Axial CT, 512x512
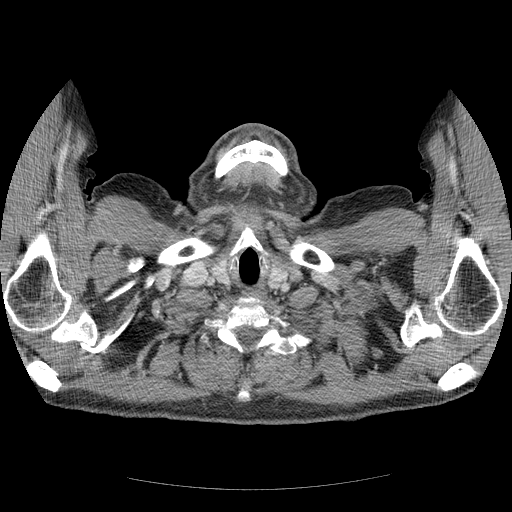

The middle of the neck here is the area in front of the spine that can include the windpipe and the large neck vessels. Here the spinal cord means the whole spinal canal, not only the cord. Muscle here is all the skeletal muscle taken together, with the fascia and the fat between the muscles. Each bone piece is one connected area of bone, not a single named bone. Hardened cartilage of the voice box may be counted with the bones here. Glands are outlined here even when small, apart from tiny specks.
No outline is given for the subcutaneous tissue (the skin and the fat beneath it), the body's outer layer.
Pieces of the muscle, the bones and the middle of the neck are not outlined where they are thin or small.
thyroid glands 1: [[273,264],[275,266],[279,268],[281,268],[287,271],[287,276],[286,278],[277,286],[277,287],[273,289],[269,289],[268,287],[268,285],[267,284],[267,282],[268,281],[268,272],[270,269],[269,268],[270,265],[272,265]]
thyroid glands 2: [[227,261],[229,262],[229,271],[228,273],[229,274],[229,277],[231,281],[231,284],[229,286],[229,287],[227,287],[223,283],[220,282],[218,280],[218,278],[214,273],[214,270],[213,269],[214,267],[214,265],[217,264],[219,262],[221,263],[226,263]]
middle of the neck: [[248,248],[259,253],[258,258],[269,269],[266,282],[269,290],[277,288],[288,273],[297,275],[289,281],[287,293],[265,301],[252,295],[238,297],[218,284],[200,279],[202,267],[213,266],[217,280],[229,288],[232,284],[229,272],[239,259],[237,254]]
head and neck: [[248,122],[256,122],[270,126],[284,134],[293,144],[297,154],[299,167],[302,173],[314,186],[317,193],[315,209],[304,220],[299,221],[289,217],[274,215],[270,213],[241,209],[193,210],[185,200],[188,191],[188,177],[204,161],[214,143],[230,129]]
spinal cord: [[243,325],[246,325],[247,326],[251,326],[255,329],[261,329],[263,330],[263,332],[260,338],[257,341],[257,342],[255,344],[249,347],[244,347],[240,343],[239,340],[237,338],[237,334],[235,331],[235,329],[237,327],[239,327]]
bones 1: [[39,230],[47,233],[57,258],[58,279],[72,296],[66,320],[77,320],[85,310],[93,318],[100,339],[132,316],[104,352],[91,354],[82,350],[75,340],[65,343],[51,340],[49,330],[34,333],[11,324],[4,303],[6,283],[18,267],[32,235]] with a hole at [[39,259],[41,259],[42,260],[43,260],[46,263],[46,265],[48,268],[48,271],[46,273],[41,273],[37,277],[36,277],[34,279],[32,279],[30,281],[28,281],[25,283],[19,283],[19,279],[29,269],[29,268],[37,260],[38,260]]
bones 2: [[465,236],[475,237],[474,239],[479,244],[484,258],[488,261],[486,265],[500,288],[501,313],[498,319],[485,332],[477,335],[462,337],[459,334],[449,330],[440,322],[433,303],[435,294],[440,292],[447,282],[449,271],[458,247],[452,241],[455,237]] with a hole at [[463,264],[465,265],[470,265],[472,264],[478,270],[480,274],[482,275],[482,276],[485,279],[487,282],[487,286],[491,288],[492,292],[490,291],[486,291],[484,289],[477,287],[471,283],[466,277],[464,277],[463,276],[458,276],[457,275],[457,273]]
bones 3: [[247,296],[263,301],[264,308],[270,314],[279,311],[278,315],[289,323],[286,334],[298,331],[310,337],[311,342],[291,354],[273,355],[262,349],[257,355],[248,357],[220,341],[216,337],[216,330],[206,326],[204,320],[218,318],[236,304],[239,297]], around a hole outlined by [[243,325],[246,325],[247,326],[251,326],[255,329],[261,329],[263,330],[263,332],[260,338],[257,341],[257,342],[255,344],[249,347],[244,347],[240,343],[239,340],[237,338],[237,334],[235,331],[235,329],[237,327],[239,327]]
bones 4: [[253,139],[257,139],[270,144],[279,150],[287,159],[289,169],[287,174],[277,179],[276,173],[268,163],[259,161],[253,164],[249,161],[243,161],[232,168],[228,173],[219,178],[215,178],[214,173],[217,162],[217,154],[219,152],[221,154],[238,144]]
bones 5: [[192,236],[200,237],[202,239],[206,240],[210,243],[219,245],[220,249],[218,251],[211,255],[202,258],[197,258],[182,263],[179,263],[176,264],[174,266],[166,265],[157,262],[158,255],[164,248],[166,248],[178,240],[183,239],[186,237],[191,237]]
bones 6: [[413,302],[419,305],[424,320],[428,323],[436,322],[440,324],[445,334],[444,337],[441,339],[439,338],[435,339],[425,338],[419,341],[411,349],[409,349],[402,342],[402,340],[400,337],[400,327],[404,321],[404,317],[405,316],[404,312],[405,310]]
bones 7: [[299,236],[303,241],[313,244],[323,250],[332,259],[335,266],[326,275],[320,273],[310,267],[307,267],[303,265],[294,263],[289,259],[287,253],[284,250],[277,249],[276,246],[279,243],[279,239],[284,238],[288,240],[289,242],[292,242]]
bones 8: [[458,362],[464,362],[465,363],[470,364],[472,365],[472,366],[476,370],[481,372],[481,373],[475,378],[462,384],[458,387],[456,387],[454,389],[452,389],[448,391],[442,391],[439,389],[437,389],[435,387],[435,385],[438,379],[450,366]]
bones 9: [[245,223],[251,226],[255,236],[262,246],[270,253],[270,255],[267,257],[269,260],[268,268],[265,267],[259,258],[260,253],[252,247],[248,247],[236,254],[238,259],[237,261],[235,260],[233,262],[233,268],[230,269],[230,258],[227,254],[239,237]]
bones 10: [[36,358],[39,358],[41,360],[44,361],[51,367],[52,367],[57,372],[58,374],[58,378],[60,380],[62,384],[57,392],[52,392],[47,389],[45,389],[43,388],[41,386],[38,385],[30,377],[25,367],[25,365],[27,362],[30,362],[34,360]]
bones 11: [[66,143],[68,145],[68,152],[67,153],[66,158],[63,163],[63,171],[61,174],[61,179],[62,180],[61,181],[61,184],[62,185],[62,188],[61,190],[59,190],[58,188],[58,185],[56,181],[56,166],[59,158],[60,149],[62,146]]
bones 12: [[139,256],[141,256],[143,258],[143,259],[144,260],[144,264],[143,265],[143,266],[141,268],[140,268],[137,271],[136,271],[135,272],[130,272],[128,270],[128,269],[127,268],[127,267],[130,262],[130,260],[131,259],[133,259],[134,258],[136,258]]
bones 13: [[244,381],[246,381],[246,382],[248,385],[248,390],[249,391],[249,393],[250,394],[250,400],[249,401],[240,401],[238,399],[238,398],[237,397],[237,394],[238,393],[238,391],[239,390],[239,389],[241,387],[241,386],[243,384],[243,382]]
bones 14: [[133,280],[135,280],[135,283],[133,284],[132,286],[130,287],[130,288],[129,288],[124,292],[119,294],[117,296],[109,300],[105,300],[105,298],[109,296],[111,294],[111,293],[113,292],[116,289],[123,286],[126,283],[130,281],[132,281]]
bones 15: [[203,332],[206,332],[206,333],[210,337],[210,339],[211,340],[211,345],[210,346],[207,346],[205,344],[204,344],[202,342],[201,342],[200,341],[200,340],[199,339],[199,337],[200,336],[200,335],[201,334],[201,333],[202,333]]
bones 16: [[58,198],[60,199],[60,201],[59,203],[57,204],[52,209],[48,211],[46,211],[44,212],[41,215],[41,218],[39,219],[38,218],[39,216],[39,212],[43,209],[45,209],[47,207],[47,203],[49,204],[54,204],[57,202],[57,199]]
torso: [[119,172],[154,179],[193,211],[241,210],[299,222],[338,194],[369,185],[407,187],[418,200],[435,248],[437,306],[452,331],[489,364],[485,375],[471,392],[444,404],[356,421],[241,425],[124,418],[48,404],[25,366],[71,306],[71,253],[84,194]]
muscle 1: [[59,97],[89,142],[86,209],[119,194],[196,214],[226,192],[214,178],[262,162],[291,173],[278,208],[329,225],[386,206],[427,216],[426,144],[457,105],[501,197],[505,308],[476,237],[455,236],[440,323],[413,301],[399,337],[411,350],[499,318],[485,365],[450,365],[434,385],[446,393],[349,408],[59,393],[12,324],[94,355],[133,316],[100,338],[85,309],[66,319],[43,229],[6,278],[16,177]] with holes at [[245,223],[270,253],[269,263],[297,275],[287,293],[263,304],[289,323],[286,334],[298,331],[312,339],[294,353],[273,355],[262,349],[248,357],[220,341],[216,330],[204,323],[229,310],[238,296],[200,279],[202,267],[230,259],[227,254]] and at [[299,236],[303,241],[313,244],[323,250],[332,259],[335,266],[326,275],[320,273],[310,267],[307,267],[303,265],[294,263],[289,259],[287,253],[284,250],[277,249],[276,246],[279,243],[279,239],[284,238],[288,240],[289,242],[292,242]] and at [[192,236],[200,237],[202,239],[206,240],[210,243],[219,245],[220,249],[218,251],[211,255],[202,258],[197,258],[182,263],[179,263],[176,264],[174,266],[166,265],[157,262],[158,255],[164,248],[166,248],[178,240],[183,239],[186,237],[191,237]] and at [[66,143],[68,145],[68,152],[67,153],[66,158],[63,163],[63,171],[61,174],[61,179],[62,180],[61,181],[61,184],[62,185],[62,188],[61,190],[59,190],[58,188],[58,185],[56,181],[56,166],[59,158],[60,149],[62,146]] and at [[139,256],[141,256],[143,258],[143,259],[144,260],[144,264],[143,265],[143,266],[141,268],[140,268],[137,271],[136,271],[135,272],[130,272],[128,270],[128,269],[127,268],[127,267],[130,262],[130,260],[131,259],[133,259],[134,258],[136,258]] and at [[244,381],[246,381],[246,382],[248,385],[248,390],[249,391],[249,393],[250,394],[250,400],[249,401],[240,401],[238,399],[238,398],[237,397],[237,394],[238,393],[238,391],[239,390],[239,389],[241,387],[241,386],[243,384],[243,382]] and at [[133,280],[135,280],[135,283],[133,284],[132,286],[130,287],[130,288],[129,288],[124,292],[119,294],[117,296],[109,300],[105,300],[105,298],[109,296],[111,294],[111,293],[113,292],[116,289],[123,286],[126,283],[130,281],[132,281]] and at [[203,332],[206,332],[206,333],[210,337],[210,339],[211,340],[211,345],[210,346],[207,346],[205,344],[204,344],[202,342],[201,342],[200,341],[200,340],[199,339],[199,337],[200,336],[200,335],[201,334],[201,333],[202,333]] and at [[58,198],[60,199],[60,201],[59,203],[57,204],[52,209],[48,211],[46,211],[44,212],[41,215],[41,218],[39,219],[38,218],[39,216],[39,212],[43,209],[45,209],[47,207],[47,203],[49,204],[54,204],[57,202],[57,199]] and at [[148,276],[153,276],[153,282],[152,283],[152,284],[150,286],[149,286],[148,287],[146,287],[146,286],[145,285],[146,284],[146,281],[145,280],[146,279],[146,278]]
muscle 2: [[247,130],[259,130],[260,131],[266,132],[268,134],[272,134],[284,147],[288,159],[280,150],[274,145],[265,141],[260,140],[257,138],[253,138],[247,141],[238,143],[234,145],[231,148],[221,153],[220,151],[221,148],[225,145],[231,138],[236,134]]
muscle 3: [[463,264],[465,265],[470,265],[472,264],[478,270],[480,274],[482,275],[482,276],[485,279],[487,282],[487,286],[491,288],[492,292],[490,291],[486,291],[484,289],[477,287],[471,283],[466,277],[464,277],[463,276],[458,276],[457,275],[457,273]]
muscle 4: [[39,259],[41,259],[42,260],[43,260],[46,263],[46,265],[48,268],[48,271],[46,273],[41,273],[37,277],[36,277],[34,279],[32,279],[30,281],[28,281],[25,283],[19,283],[19,279],[29,269],[29,268],[37,260],[38,260]]
left arm: [[449,89],[469,110],[487,139],[508,201],[511,226],[511,293],[508,295],[509,309],[503,319],[503,331],[489,363],[453,331],[438,306],[436,248],[419,202],[420,197],[429,189],[430,177],[419,165],[421,156],[417,142],[422,128],[438,101]]
right arm: [[71,80],[81,94],[96,134],[97,149],[88,158],[87,162],[87,165],[95,171],[95,175],[87,182],[83,194],[78,228],[70,253],[70,306],[55,331],[23,366],[15,348],[1,294],[0,222],[9,178],[21,147],[38,117],[52,100],[57,90]]